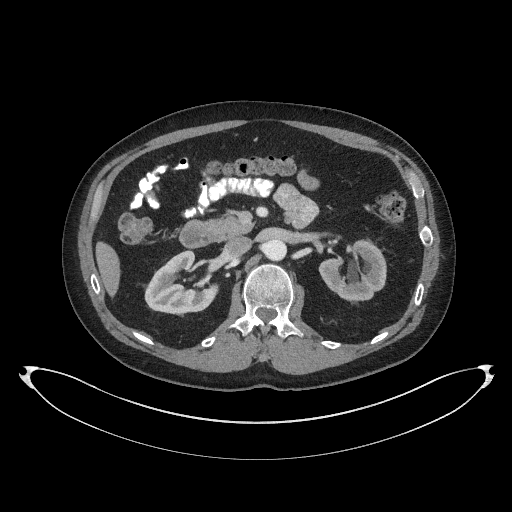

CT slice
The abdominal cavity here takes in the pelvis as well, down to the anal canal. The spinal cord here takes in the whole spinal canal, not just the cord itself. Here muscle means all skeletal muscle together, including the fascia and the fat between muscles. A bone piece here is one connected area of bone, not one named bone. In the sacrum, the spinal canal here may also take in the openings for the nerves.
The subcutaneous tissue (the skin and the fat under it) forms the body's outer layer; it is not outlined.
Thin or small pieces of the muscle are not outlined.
Outlines (x, y in pixels):
muscle: [[293,375],[300,375],[301,374],[310,373],[328,367],[337,366],[354,360],[359,357],[364,356],[400,339],[407,334],[409,334],[420,323],[426,307],[425,300],[427,297],[428,290],[438,270],[439,258],[441,255],[441,253],[439,247],[440,238],[439,237],[439,232],[435,219],[434,202],[433,201],[432,193],[429,186],[429,183],[425,175],[419,167],[409,157],[398,149],[388,144],[376,140],[371,137],[353,131],[349,131],[345,129],[341,129],[336,127],[331,127],[325,125],[318,125],[303,121],[277,119],[276,118],[234,119],[233,120],[220,121],[219,122],[215,122],[214,123],[175,130],[155,137],[145,143],[117,156],[105,164],[99,170],[90,185],[80,217],[79,228],[77,234],[77,247],[78,248],[78,255],[80,262],[80,269],[83,280],[87,288],[88,295],[90,298],[91,303],[97,312],[97,314],[100,318],[104,327],[109,333],[119,341],[129,346],[147,352],[166,361],[200,371],[204,371],[205,372],[229,372],[230,371],[242,370],[255,364],[265,363],[280,372],[287,374],[292,374]], around holes outlined by [[178,348],[199,342],[208,347],[215,341],[215,336],[207,336],[226,317],[237,279],[245,312],[227,327],[238,329],[243,336],[254,327],[263,333],[274,327],[282,338],[303,336],[288,318],[295,281],[305,291],[302,319],[323,336],[322,345],[336,348],[343,342],[366,340],[373,344],[385,338],[387,331],[378,332],[402,315],[412,294],[416,306],[422,300],[423,284],[417,278],[423,247],[432,244],[433,236],[427,225],[417,230],[413,199],[424,197],[418,176],[406,170],[411,192],[384,155],[277,122],[254,122],[197,136],[130,162],[115,178],[95,228],[96,271],[90,276],[91,287],[96,294],[102,290],[109,309],[134,329],[136,338],[154,343],[137,331],[142,330]] and by [[91,220],[96,219],[98,215],[98,210],[99,209],[99,205],[101,201],[101,196],[102,195],[102,183],[101,182],[99,183],[99,184],[97,186],[96,188],[96,190],[93,196],[93,201],[92,202],[92,205],[91,206],[91,210],[90,211],[90,219]]
bones 1: [[282,338],[290,334],[303,336],[303,332],[288,318],[294,299],[292,281],[287,272],[279,265],[260,264],[250,270],[242,287],[242,297],[245,305],[244,314],[227,327],[238,329],[243,336],[247,335],[254,327],[258,327],[263,333],[274,327],[276,333]] with a hole at [[265,322],[266,322],[267,321],[268,321],[270,319],[271,319],[272,318],[273,318],[276,315],[276,312],[273,309],[268,309],[267,308],[259,308],[256,311],[256,314],[261,319],[262,319]]
bones 2: [[417,199],[419,198],[423,198],[424,197],[424,189],[421,184],[421,182],[418,176],[412,170],[410,169],[407,169],[406,170],[406,173],[408,177],[408,181],[410,184],[410,186],[412,190],[412,193],[414,197]]
bones 3: [[91,220],[96,219],[98,215],[98,210],[99,209],[99,205],[101,201],[101,196],[102,195],[102,183],[101,182],[99,183],[99,184],[97,186],[96,188],[96,190],[93,196],[93,201],[92,202],[92,205],[91,206],[91,210],[90,211],[90,219]]
bones 4: [[426,247],[428,247],[429,246],[430,246],[432,244],[432,243],[433,242],[433,236],[432,235],[431,230],[429,228],[429,227],[427,225],[424,225],[421,228],[421,229],[419,231],[419,232],[418,233],[419,234],[419,237],[420,238],[423,245]]
bones 5: [[416,306],[418,306],[420,304],[420,303],[421,302],[421,301],[422,300],[422,295],[423,294],[423,284],[421,282],[418,282],[417,283],[417,284],[416,285],[416,288],[415,289],[415,292],[414,293],[414,303],[415,304],[415,305]]
bones 6: [[96,294],[98,294],[99,293],[99,292],[100,291],[100,286],[99,285],[99,281],[98,280],[98,278],[97,277],[97,275],[96,274],[96,272],[93,272],[91,274],[91,275],[90,276],[90,282],[91,283],[91,287],[92,288],[93,291]]
bones 7: [[148,344],[153,344],[154,343],[153,342],[153,341],[150,338],[149,338],[148,337],[147,337],[146,336],[143,335],[141,333],[138,332],[136,330],[133,330],[132,331],[132,333],[133,334],[133,335],[136,338],[137,338],[142,342],[145,342]]
bones 8: [[327,348],[336,348],[337,347],[339,347],[342,344],[342,343],[341,343],[340,342],[337,342],[336,341],[332,341],[331,340],[322,340],[320,342],[320,343],[322,345],[323,345],[324,346],[325,346]]
bones 9: [[371,344],[373,344],[374,343],[376,343],[377,342],[378,342],[379,341],[382,340],[384,338],[385,338],[388,335],[388,332],[387,331],[383,331],[382,332],[381,332],[380,333],[377,334],[375,336],[374,336],[370,340],[370,343]]
bones 10: [[203,347],[208,347],[209,346],[210,346],[215,341],[215,339],[216,338],[215,337],[215,336],[210,336],[209,337],[206,337],[205,338],[204,338],[200,342],[200,344]]
spinal cord: [[265,322],[266,322],[267,321],[268,321],[270,319],[271,319],[272,318],[273,318],[276,315],[276,312],[273,309],[268,309],[267,308],[259,308],[256,311],[256,314],[261,319],[262,319]]
torso: [[224,392],[258,387],[299,391],[359,379],[408,360],[440,325],[453,291],[453,222],[435,174],[418,151],[393,130],[366,117],[318,105],[211,102],[141,126],[106,149],[82,176],[67,210],[61,241],[64,284],[79,321],[108,354],[132,370],[172,384]]
abdominal cavity: [[178,348],[207,336],[226,317],[236,280],[241,287],[249,270],[264,262],[279,264],[303,286],[302,319],[325,339],[357,343],[395,322],[414,291],[423,251],[414,198],[395,164],[316,133],[254,122],[152,150],[125,166],[92,241],[101,289],[120,321]]